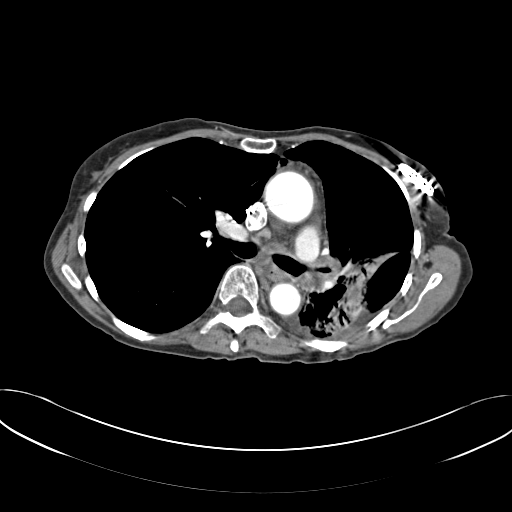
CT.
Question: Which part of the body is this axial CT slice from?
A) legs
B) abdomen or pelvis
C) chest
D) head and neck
Answer: C) chest
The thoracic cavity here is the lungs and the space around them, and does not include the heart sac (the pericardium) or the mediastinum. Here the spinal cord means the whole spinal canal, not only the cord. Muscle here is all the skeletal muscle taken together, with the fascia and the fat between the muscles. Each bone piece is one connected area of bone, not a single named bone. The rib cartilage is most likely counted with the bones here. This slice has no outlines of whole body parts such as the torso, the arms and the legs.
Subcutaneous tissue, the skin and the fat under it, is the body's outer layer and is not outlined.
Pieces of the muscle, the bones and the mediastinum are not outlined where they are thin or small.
{"spinal_cord":[[[237,297],[241,297],[245,300],[246,300],[248,302],[248,303],[251,307],[251,310],[249,312],[248,312],[241,316],[237,316],[236,315],[234,315],[226,309],[226,306],[227,305],[227,304],[232,299],[233,299],[234,298],[236,298]]],"mediastinum":[[[288,159],[307,164],[321,179],[329,255],[305,281],[303,310],[295,317],[280,320],[276,319],[268,310],[251,266],[239,262],[246,258],[252,258],[257,253],[256,247],[247,242],[246,226],[243,223],[246,218],[246,210],[261,196],[278,163],[283,167]]],"thoracic_cavity":[[[190,137],[280,158],[293,144],[325,140],[377,164],[413,226],[395,295],[343,339],[306,337],[278,321],[304,310],[306,281],[330,255],[322,179],[288,158],[245,210],[255,255],[224,271],[201,315],[157,333],[117,317],[89,273],[88,212],[117,171]]],"bones":[{"outer":[[236,263],[247,264],[252,269],[258,283],[259,292],[265,300],[267,310],[281,326],[281,330],[275,338],[268,337],[258,325],[247,326],[236,335],[228,326],[221,322],[213,325],[206,333],[202,334],[199,332],[200,326],[212,311],[212,301],[225,271]],"hole":[[237,297],[241,297],[245,300],[246,300],[248,302],[248,303],[251,307],[251,310],[249,312],[248,312],[241,316],[237,316],[236,315],[234,315],[226,309],[226,306],[227,305],[227,304],[232,299],[233,299],[234,298],[236,298]]},[[434,272],[439,272],[442,275],[440,282],[422,296],[417,307],[412,312],[385,329],[379,325],[376,327],[375,331],[371,330],[366,333],[364,331],[366,328],[365,324],[387,304],[390,308],[388,314],[388,317],[390,319],[398,317],[412,307],[430,276]],[[247,136],[250,136],[251,137],[255,137],[256,138],[269,138],[270,137],[272,137],[276,140],[277,142],[277,146],[274,151],[272,152],[270,152],[269,153],[258,153],[257,152],[248,152],[238,147],[238,145],[239,144],[239,141],[241,139]],[[312,338],[319,338],[320,339],[324,339],[325,340],[346,340],[348,343],[348,345],[345,347],[343,347],[333,352],[326,352],[325,351],[321,351],[315,348],[313,348],[310,346],[308,346],[307,345],[304,345],[302,344],[300,341],[302,339],[311,339]],[[111,312],[117,318],[118,318],[123,322],[129,325],[131,325],[136,328],[138,328],[139,329],[147,331],[150,333],[155,334],[157,336],[157,338],[155,339],[151,339],[150,340],[141,341],[124,333],[113,323],[112,319],[111,318],[111,315],[110,314]],[[63,263],[66,263],[70,266],[70,267],[73,270],[74,273],[77,276],[77,277],[82,283],[82,286],[80,289],[77,289],[73,286],[72,286],[63,274],[63,273],[61,270],[61,265]],[[381,165],[385,165],[392,171],[395,172],[397,176],[401,180],[401,182],[406,189],[409,196],[412,198],[412,204],[409,207],[408,205],[408,203],[406,200],[406,198],[402,190],[400,188],[400,187],[398,185],[396,181],[383,168],[382,168],[380,166]],[[414,228],[418,228],[419,229],[419,230],[421,233],[421,246],[420,247],[420,253],[419,254],[419,255],[418,256],[418,257],[416,259],[414,259],[413,258],[413,256],[411,253],[411,251],[412,250],[412,247],[413,246],[413,237],[414,236]],[[87,274],[89,274],[89,275],[90,276],[90,277],[96,288],[97,293],[99,296],[99,298],[100,299],[101,302],[98,302],[97,301],[96,301],[92,297],[92,296],[86,288],[86,287],[85,286],[85,284],[84,283],[84,278]],[[409,270],[412,271],[412,279],[411,280],[411,284],[410,285],[409,288],[407,290],[406,293],[403,296],[401,296],[399,294],[398,295],[395,296],[398,292],[398,291],[400,289],[400,288],[403,283],[403,281],[405,278],[405,276],[406,275],[407,272]],[[150,146],[154,146],[155,147],[154,148],[153,148],[152,149],[135,157],[133,159],[132,159],[128,163],[127,163],[123,167],[122,167],[120,169],[117,170],[117,167],[128,157],[129,157],[134,153],[135,153],[144,148],[146,148],[147,147],[149,147]],[[91,190],[97,190],[98,191],[98,192],[97,193],[97,194],[96,195],[96,197],[95,198],[94,201],[92,203],[89,210],[87,212],[85,212],[83,210],[83,207],[84,206],[84,202],[85,201],[88,194],[90,192],[90,191]]],"muscle":[[[311,132],[329,134],[382,155],[423,194],[421,216],[426,223],[424,227],[426,246],[428,248],[434,244],[444,244],[459,254],[461,274],[453,295],[433,317],[415,329],[369,346],[346,352],[337,351],[349,345],[344,338],[355,332],[364,322],[366,322],[363,331],[366,334],[375,332],[379,326],[385,330],[412,313],[423,296],[441,282],[443,275],[439,271],[434,271],[412,306],[394,318],[389,317],[391,308],[388,304],[394,297],[399,295],[403,297],[407,293],[413,279],[413,271],[409,269],[411,258],[412,256],[416,260],[421,253],[422,233],[418,227],[414,227],[409,209],[413,204],[413,198],[395,171],[339,143],[325,139],[310,139],[276,149],[278,142],[273,137]],[[211,305],[211,311],[198,328],[198,332],[202,335],[221,323],[236,336],[247,327],[258,326],[268,338],[275,339],[282,330],[279,322],[301,336],[310,338],[302,338],[299,341],[302,345],[325,352],[299,352],[287,355],[270,355],[254,350],[238,352],[240,345],[236,336],[229,343],[229,348],[235,353],[233,354],[199,350],[188,344],[156,345],[141,342],[155,340],[158,338],[156,334],[158,333],[169,332],[192,322]],{"outer":[[89,190],[82,207],[87,213],[84,229],[76,239],[78,254],[81,258],[85,257],[88,270],[83,283],[91,297],[98,303],[102,302],[110,311],[112,323],[135,339],[114,331],[88,313],[60,281],[52,266],[52,250],[66,225],[73,220],[81,196]],"hole":[[63,263],[66,263],[70,266],[70,267],[73,270],[74,273],[77,276],[77,277],[82,283],[82,286],[80,289],[77,289],[73,286],[72,286],[63,274],[63,273],[61,270],[61,265]]},[[198,128],[228,130],[250,135],[241,138],[238,141],[237,147],[226,144],[222,139],[217,141],[202,136],[190,136],[156,147],[154,145],[150,145],[134,152],[123,160],[99,191],[97,189],[91,189],[105,172],[108,165],[124,150],[149,141]]]}